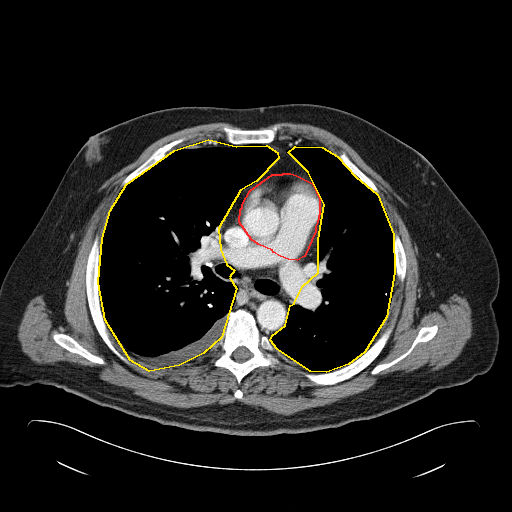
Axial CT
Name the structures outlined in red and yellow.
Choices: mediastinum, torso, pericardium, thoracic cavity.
red: pericardium; yellow: thoracic cavity.
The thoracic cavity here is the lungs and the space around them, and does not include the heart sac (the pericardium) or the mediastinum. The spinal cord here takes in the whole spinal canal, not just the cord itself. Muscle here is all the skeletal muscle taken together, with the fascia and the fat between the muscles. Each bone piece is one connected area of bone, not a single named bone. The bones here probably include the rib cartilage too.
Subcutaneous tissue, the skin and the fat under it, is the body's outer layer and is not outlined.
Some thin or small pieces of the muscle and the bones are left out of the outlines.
pericardium: 283,173 290,173 296,175 312,183 319,199 319,212 317,222 315,226 315,231 304,256 297,260 288,259 280,256 273,252 272,250 258,244 251,239 239,222 240,209 242,207 242,204 250,190 272,174 282,174
thoracic cavity 1: 208,139 236,146 266,145 277,152 278,158 256,181 240,190 218,228 220,249 226,264 234,270 229,277 236,288 221,337 203,353 179,365 149,371 130,360 105,320 98,282 102,238 110,210 126,184 174,150
thoracic cavity 2: 295,146 322,147 337,156 355,176 377,194 393,234 394,272 386,317 364,352 348,364 326,372 310,371 277,349 270,340 272,335 285,325 290,305 294,303 302,286 318,272 318,239 324,204 308,172 288,152
spinal cord: 241,346 243,346 244,347 245,347 251,353 251,356 248,359 247,359 245,361 243,361 242,362 238,362 237,361 235,361 232,358 232,354 233,353 233,352 238,347 240,347
muscle: 281,121 332,132 404,196 433,266 471,309 471,336 453,361 282,415 237,401 188,408 159,404 23,354 18,326 26,306 57,277 103,183 165,135 227,122 239,127 223,125 225,141 202,139 172,151 188,138 173,139 122,180 100,245 96,235 86,258 86,300 98,335 128,363 110,331 129,360 149,372 179,366 221,338 213,364 238,384 256,368 273,368 280,361 276,350 308,370 303,375 320,386 348,380 370,365 394,329 393,319 373,341 390,308 394,273 401,282 406,277 403,242 393,233 376,184 345,151 336,155 296,136 276,139 281,126 275,123, around holes outlined by 54,332 57,332 58,333 64,333 65,334 69,335 81,346 85,348 88,351 95,355 97,355 101,357 104,360 104,363 103,364 94,363 76,353 73,353 65,349 63,347 56,343 53,339 52,335 and by 433,325 437,325 437,331 435,335 431,339 425,342 419,342 417,343 409,354 393,365 383,370 381,370 376,374 372,374 371,373 373,368 378,364 389,362 403,354 411,346 419,330 422,327 424,326 432,326 and by 237,389 239,389 242,392 242,393 243,394 242,395 242,397 241,398 240,398 239,399 238,398 236,398 234,396 234,392
torso: 286,103 315,103 345,110 408,144 432,164 481,226 499,267 499,288 492,303 499,343 487,372 464,384 437,389 415,403 373,419 269,436 162,425 99,406 53,385 0,386 0,285 67,167 90,136 159,109
bones 1: 239,309 245,310 253,316 259,333 262,336 267,337 276,349 273,354 277,357 279,361 273,367 259,366 254,368 238,383 235,376 228,369 216,366 214,363 222,352 222,336 228,321 226,315 230,311 236,311 with a hole at 241,346 243,346 244,347 245,347 251,353 251,356 248,359 247,359 245,361 243,361 242,362 238,362 237,361 235,361 232,358 232,354 233,353 233,352 238,347 240,347
bones 2: 96,236 99,236 99,245 100,246 97,282 98,283 98,294 101,311 109,331 109,338 112,341 115,348 128,360 128,362 125,362 120,359 103,341 95,327 90,313 87,300 85,273 86,272 88,254 94,238
bones 3: 393,320 394,320 393,329 390,334 389,338 380,353 370,364 355,375 348,379 331,385 320,385 317,384 307,378 304,375 303,373 305,372 309,372 310,373 326,373 327,372 331,372 348,365 364,353 391,324
bones 4: 275,124 278,124 280,126 279,129 277,131 275,139 267,144 263,144 262,143 247,143 246,144 239,144 238,145 231,144 226,141 224,133 221,129 225,125 232,128 240,128 241,129 262,129 263,128 271,128
bones 5: 181,137 186,137 187,138 185,141 175,146 171,150 171,151 168,152 162,159 161,159 153,166 147,169 137,176 134,177 123,186 121,185 123,180 126,176 142,164 155,150 159,147
bones 6: 54,332 57,332 58,333 64,333 65,334 69,335 81,346 85,348 88,351 95,355 97,355 101,357 104,360 104,363 103,364 94,363 76,353 73,353 65,349 63,347 56,343 53,339 52,335
bones 7: 433,325 437,325 437,331 435,335 431,339 425,342 419,342 417,343 409,354 393,365 383,370 381,370 376,374 372,374 371,373 373,368 378,364 389,362 403,354 411,346 419,330 422,327 424,326 432,326
bones 8: 395,233 396,233 400,237 400,239 402,242 402,244 403,245 403,247 404,248 404,251 405,252 405,255 406,256 406,270 405,271 405,277 402,281 401,281 399,279 399,278 395,274 395,260 394,259 394,234
bones 9: 342,152 345,152 348,156 348,157 368,177 369,177 373,181 373,182 375,184 376,187 378,189 378,192 377,193 376,192 375,192 370,187 369,187 356,175 355,175 342,162 342,161 339,158 339,157 338,156
mediastinum: 293,137 325,147 295,145 287,150 307,172 322,199 317,272 301,286 289,305 284,325 269,339 260,333 249,311 232,310 237,288 230,277 235,270 224,258 219,228 241,190 256,182 279,158 278,152 267,145 with a hole at 283,173 290,173 296,175 312,183 319,199 319,212 317,222 315,226 315,231 304,256 297,260 288,259 280,256 273,252 272,250 258,244 251,239 239,222 240,209 242,207 242,204 250,190 272,174 282,174